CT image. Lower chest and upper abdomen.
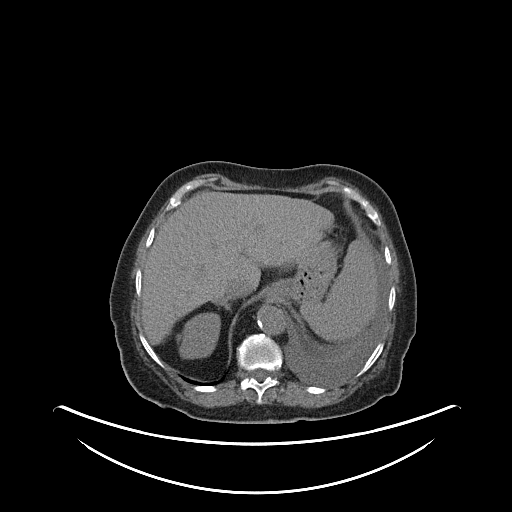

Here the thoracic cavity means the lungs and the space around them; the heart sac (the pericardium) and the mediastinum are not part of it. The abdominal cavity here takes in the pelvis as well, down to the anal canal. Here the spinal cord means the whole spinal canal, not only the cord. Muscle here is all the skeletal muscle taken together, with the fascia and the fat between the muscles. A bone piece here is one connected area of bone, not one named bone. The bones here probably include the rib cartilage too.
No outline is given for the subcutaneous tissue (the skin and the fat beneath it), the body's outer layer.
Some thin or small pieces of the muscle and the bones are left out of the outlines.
muscle 1: 370 201; 377 207; 392 239; 400 273; 400 310; 385 367; 351 395; 334 404; 315 408; 262 404; 265 391; 279 384; 274 374; 281 369; 283 363; 296 380; 307 385; 304 388; 306 392; 322 394; 326 387; 339 384; 354 375; 361 376; 382 353; 385 343; 379 339; 386 310; 390 312; 394 307; 396 288; 389 285; 387 265; 391 264; 392 257; 389 247; 382 245; 376 229; 381 225; 381 220
muscle 2: 168 198; 164 209; 167 214; 156 230; 153 226; 150 228; 145 240; 144 245; 148 249; 143 268; 138 267; 135 270; 134 289; 137 297; 141 296; 141 325; 144 334; 140 331; 137 336; 147 354; 161 368; 167 366; 197 392; 215 392; 217 385; 229 377; 236 362; 245 372; 239 388; 242 391; 251 388; 256 392; 255 405; 204 407; 186 401; 144 363; 135 347; 129 315; 130 274; 138 243
muscle 3: 205 173; 219 173; 222 175; 224 175; 231 180; 239 183; 246 183; 247 184; 253 184; 254 185; 262 185; 263 186; 268 186; 269 187; 296 187; 297 186; 305 185; 309 183; 315 182; 325 177; 333 176; 337 178; 340 178; 353 184; 356 187; 357 187; 367 198; 364 197; 360 193; 360 192; 356 189; 346 185; 342 185; 340 187; 340 191; 341 192; 339 191; 325 191; 320 193; 295 192; 294 191; 270 190; 269 189; 265 189; 264 190; 263 189; 229 189; 228 188; 218 188; 210 185; 206 185; 209 183; 212 183; 214 182; 217 179; 215 177; 197 178; 196 179; 192 179; 190 180; 197 175; 204 174
mediastinum 1: 259 300; 275 302; 283 306; 289 316; 289 341; 287 346; 282 350; 280 346; 271 337; 264 333; 251 333; 247 335; 236 347; 235 362; 232 368; 231 346; 234 341; 234 330; 236 324; 238 323; 238 320; 242 313; 254 302; 257 302
mediastinum 2: 351 200; 356 202; 360 206; 364 211; 365 215; 375 226; 375 229; 377 232; 377 234; 379 236; 379 238; 381 242; 381 245; 383 248; 383 251; 381 251; 378 248; 376 248; 369 235; 366 232; 365 229; 360 224; 357 213; 351 204
abdominal cavity: 203 186; 339 192; 350 199; 359 224; 376 249; 380 301; 377 318; 367 332; 349 348; 328 354; 303 338; 283 305; 259 299; 235 324; 231 368; 221 379; 202 382; 180 376; 166 365; 144 333; 142 270; 156 231; 168 213; 185 194
spinal cord: 259 368; 261 369; 264 369; 265 370; 267 370; 269 371; 270 373; 270 374; 268 375; 262 381; 259 381; 257 380; 254 377; 252 376; 250 376; 249 374; 250 371; 252 370; 254 370; 255 369; 258 369
bones 1: 258 333; 271 338; 279 346; 283 356; 280 369; 273 374; 279 382; 264 391; 262 394; 263 402; 261 404; 256 402; 258 395; 253 388; 249 387; 244 390; 240 388; 240 382; 246 375; 246 372; 239 367; 236 361; 237 347; 247 336, around a hole outlined by 259 368; 261 369; 264 369; 265 370; 267 370; 269 371; 270 373; 270 374; 268 375; 262 381; 259 381; 257 380; 254 377; 252 376; 250 376; 249 374; 250 371; 252 370; 254 370; 255 369; 258 369
bones 2: 342 186; 346 186; 356 190; 359 192; 359 193; 364 198; 367 199; 369 201; 370 204; 376 210; 378 214; 380 220; 380 225; 379 226; 376 226; 371 221; 371 220; 366 215; 365 211; 356 201; 347 197; 346 195; 341 191; 341 187
bones 3: 207 178; 215 178; 216 179; 214 181; 209 182; 205 185; 197 187; 188 191; 183 195; 179 204; 172 209; 166 211; 165 209; 169 203; 169 199; 170 197; 183 184; 185 184; 187 182; 189 182; 192 180; 196 180; 197 179; 206 179
bones 4: 379 342; 383 342; 384 343; 384 346; 383 347; 383 349; 381 353; 379 355; 379 356; 372 364; 372 365; 365 372; 364 372; 359 376; 355 376; 355 375; 358 372; 358 371; 364 365; 366 360; 369 357; 369 356; 375 348; 376 345
bones 5: 140 332; 141 333; 142 333; 142 334; 145 337; 145 338; 147 340; 149 345; 152 348; 152 349; 154 351; 154 352; 156 354; 156 355; 164 364; 164 368; 161 367; 148 354; 148 353; 144 348; 144 347; 138 336; 138 335
bones 6: 138 268; 139 268; 141 270; 141 295; 140 296; 140 297; 138 297; 138 296; 137 295; 137 294; 136 293; 136 290; 135 289; 135 277; 136 276; 136 270
bones 7: 391 286; 394 286; 394 287; 395 288; 395 301; 394 302; 394 304; 393 305; 393 307; 392 308; 392 309; 390 311; 389 311; 387 309; 387 302; 388 301; 388 294; 389 293; 389 290; 390 289; 390 288; 391 287
bones 8: 193 385; 212 385; 213 386; 216 386; 217 387; 217 389; 215 391; 213 391; 212 392; 204 392; 203 391; 197 391; 196 390; 195 390; 194 389; 193 389
bones 9: 307 386; 316 386; 317 387; 324 387; 326 389; 325 390; 325 391; 324 392; 323 392; 322 393; 310 393; 309 392; 308 392; 307 391; 306 391; 305 390; 305 388
bones 10: 152 227; 153 227; 154 228; 154 229; 155 230; 155 232; 154 233; 154 236; 153 237; 153 240; 152 241; 150 246; 148 248; 147 247; 146 247; 146 246; 145 245; 145 243; 146 242; 146 240; 148 237; 148 235; 149 234; 149 232
bones 11: 386 245; 388 247; 388 248; 389 249; 389 252; 390 253; 390 256; 391 257; 391 262; 390 263; 390 264; 389 264; 388 265; 386 263; 386 262; 385 261; 385 258; 384 257; 384 247
torso: 207 160; 261 168; 338 164; 366 174; 385 190; 399 217; 417 287; 416 331; 403 360; 399 388; 393 395; 355 413; 330 419; 244 424; 192 418; 148 401; 133 389; 120 363; 109 315; 109 293; 117 260; 126 237; 159 183; 176 169
thoracic cavity 1: 377 249; 383 252; 389 286; 383 325; 377 343; 357 372; 339 383; 325 387; 308 385; 299 381; 290 373; 284 364; 283 351; 290 341; 290 317; 294 321; 302 338; 322 353; 330 355; 343 352; 358 342; 378 318; 380 309; 381 287
thoracic cavity 2: 230 369; 231 369; 231 371; 229 373; 228 377; 226 379; 219 382; 216 385; 213 385; 212 384; 191 384; 185 381; 181 377; 188 378; 189 379; 195 380; 202 383; 209 383; 210 382; 215 382; 216 381; 219 381; 221 380